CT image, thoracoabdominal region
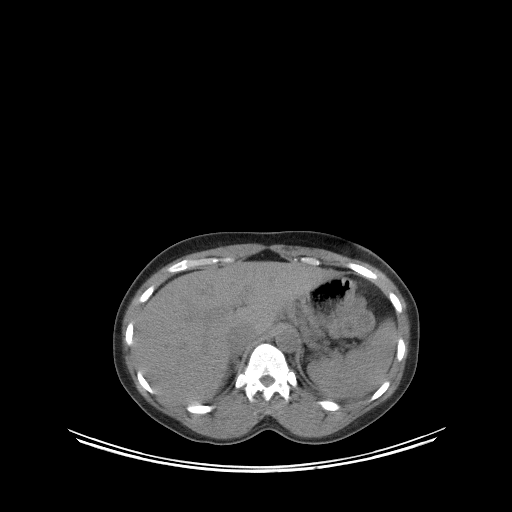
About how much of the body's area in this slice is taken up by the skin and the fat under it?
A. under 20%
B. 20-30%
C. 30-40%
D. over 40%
A. under 20%
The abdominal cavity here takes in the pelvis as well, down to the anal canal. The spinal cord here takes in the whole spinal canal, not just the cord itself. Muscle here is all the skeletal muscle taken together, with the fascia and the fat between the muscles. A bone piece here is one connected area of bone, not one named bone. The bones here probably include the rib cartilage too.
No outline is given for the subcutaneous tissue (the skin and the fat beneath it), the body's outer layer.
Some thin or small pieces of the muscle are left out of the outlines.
abdominal cavity: 265 250; 312 266; 349 270; 371 280; 387 296; 397 320; 395 359; 387 377; 370 395; 337 402; 300 386; 295 373; 299 339; 292 327; 279 328; 259 341; 233 387; 209 404; 176 403; 150 385; 132 345; 136 318; 154 291; 180 272
mediastinum: 284 328; 292 328; 295 331; 298 339; 298 348; 297 349; 296 356; 294 359; 294 371; 294 370; 290 367; 285 354; 278 347; 275 347; 269 342; 261 342; 260 343; 258 343; 261 341; 263 341; 267 339; 277 330; 279 329; 283 329
muscle: 241 243; 259 243; 264 245; 270 245; 271 244; 299 245; 305 247; 320 248; 321 249; 329 250; 354 259; 358 259; 364 261; 379 269; 393 282; 399 290; 406 302; 406 311; 408 315; 409 324; 410 325; 410 337; 409 338; 408 355; 406 358; 406 363; 404 367; 402 377; 397 388; 386 400; 367 411; 362 415; 357 417; 341 429; 331 434; 321 437; 302 437; 301 436; 298 436; 290 432; 289 430; 281 425; 275 419; 271 417; 265 417; 255 424; 247 433; 241 436; 234 437; 233 438; 228 438; 227 439; 218 439; 217 438; 213 438; 205 435; 202 435; 193 431; 175 418; 160 411; 154 407; 143 397; 136 388; 133 382; 133 380; 131 378; 131 376; 127 369; 124 360; 124 354; 122 350; 122 335; 121 334; 122 333; 122 322; 125 312; 128 305; 130 303; 137 290; 152 274; 165 265; 177 259; 179 257; 181 257; 190 253; 193 253; 202 250; 206 250; 211 248; 215 248; 219 246; 225 246; 226 245; 231 245; 232 244; 240 244 with a hole at 265 250; 288 260; 312 257; 321 265; 346 270; 350 269; 344 265; 348 262; 362 265; 378 275; 371 281; 386 296; 389 292; 396 295; 402 306; 401 312; 395 313; 397 336; 403 339; 406 350; 400 361; 394 360; 385 379; 389 386; 380 396; 371 401; 370 395; 338 401; 339 409; 326 410; 317 403; 321 397; 298 383; 290 387; 288 402; 277 392; 266 401; 259 391; 250 401; 243 387; 232 387; 209 404; 214 405; 211 411; 198 414; 140 385; 138 364; 132 346; 125 341; 125 332; 128 323; 136 321; 144 305; 138 301; 141 294; 151 285; 156 289; 177 274; 167 268; 183 259; 231 257; 235 260
spinal cord: 266 375; 268 375; 269 376; 270 376; 271 377; 272 377; 273 378; 273 382; 271 384; 270 384; 268 386; 266 386; 265 385; 264 385; 261 382; 261 381; 260 380; 260 378; 261 377; 262 377; 263 376; 265 376
torso: 282 230; 320 231; 370 248; 380 243; 390 249; 390 253; 376 251; 407 286; 419 313; 414 376; 403 395; 383 415; 334 442; 299 443; 272 430; 228 445; 187 439; 151 418; 122 386; 112 353; 119 304; 144 266; 180 240; 217 231
bones 1: 261 343; 269 343; 275 348; 278 348; 284 354; 289 367; 295 374; 298 383; 296 387; 290 387; 288 402; 286 402; 277 392; 266 401; 259 391; 253 396; 253 401; 250 401; 243 387; 234 387; 236 377; 244 370; 252 350; inner edge: 266 375; 268 375; 269 376; 270 376; 271 377; 272 377; 273 378; 273 382; 271 384; 270 384; 268 386; 266 386; 265 385; 264 385; 261 382; 261 381; 260 380; 260 378; 261 377; 262 377; 263 376; 265 376
bones 2: 209 257; 216 257; 217 258; 231 257; 234 259; 232 261; 229 262; 218 262; 209 265; 203 265; 199 267; 196 267; 192 269; 188 269; 179 272; 169 272; 167 271; 167 268; 169 266; 183 259; 199 259; 200 258; 208 258
bones 3: 348 262; 352 262; 353 263; 356 263; 357 264; 362 265; 368 268; 370 270; 371 270; 373 272; 374 272; 378 275; 378 277; 377 279; 375 280; 372 280; 371 279; 369 279; 366 277; 364 277; 358 274; 353 270; 346 267; 344 265
bones 4: 189 404; 202 404; 203 405; 214 405; 214 408; 211 411; 210 411; 209 412; 207 412; 206 413; 203 413; 202 414; 198 414; 197 413; 192 413; 191 412; 190 412; 189 411; 188 411; 186 409; 186 406; 187 405; 188 405
bones 5: 138 370; 140 370; 141 371; 143 376; 148 382; 149 385; 154 390; 155 390; 155 391; 156 392; 154 394; 152 394; 151 393; 150 393; 148 391; 147 391; 145 389; 144 389; 140 385; 140 384; 138 381; 138 379; 137 378; 137 371
bones 6: 319 400; 331 400; 334 402; 336 402; 337 403; 338 403; 339 404; 339 405; 340 406; 340 407; 339 408; 339 409; 338 409; 337 410; 326 410; 325 409; 324 409; 323 408; 322 408; 322 407; 319 404; 318 404; 317 403; 317 402
bones 7: 399 337; 400 337; 403 339; 403 340; 404 341; 404 343; 405 344; 405 346; 406 347; 406 350; 404 353; 404 355; 403 356; 403 357; 402 358; 402 359; 400 361; 398 361; 396 359; 396 351; 397 350; 397 342; 398 341; 398 338
bones 8: 385 380; 388 380; 389 381; 389 386; 388 387; 388 388; 380 396; 379 396; 377 398; 376 398; 375 399; 374 399; 373 400; 372 400; 371 401; 369 401; 369 399; 370 398; 370 397; 371 396; 371 395; 382 384; 382 383
bones 9: 389 292; 392 292; 393 293; 394 293; 398 298; 398 299; 399 300; 399 301; 402 306; 402 310; 400 313; 397 313; 396 312; 396 311; 395 310; 395 309; 394 308; 392 303; 390 301; 390 300; 388 297; 388 294; 389 293
bones 10: 131 321; 132 321; 133 322; 133 335; 132 336; 132 344; 130 346; 129 345; 127 345; 127 344; 126 343; 126 342; 125 341; 125 332; 126 331; 126 328; 127 327; 127 325; 128 324; 128 323; 129 322; 130 322
bones 11: 151 285; 153 285; 155 287; 155 289; 153 291; 153 292; 151 294; 151 295; 147 299; 147 300; 146 301; 145 301; 144 302; 139 302; 138 301; 138 299; 139 298; 139 297; 141 295; 141 294; 148 287; 149 287
bones 12: 301 257; 312 257; 313 258; 315 258; 316 259; 317 259; 318 260; 319 260; 320 261; 320 264; 319 265; 312 265; 311 264; 310 264; 309 263; 306 263; 305 262; 303 262; 302 261; 301 261; 300 260; 300 258